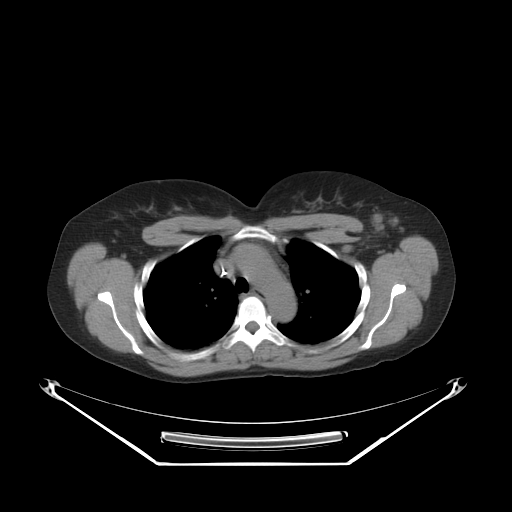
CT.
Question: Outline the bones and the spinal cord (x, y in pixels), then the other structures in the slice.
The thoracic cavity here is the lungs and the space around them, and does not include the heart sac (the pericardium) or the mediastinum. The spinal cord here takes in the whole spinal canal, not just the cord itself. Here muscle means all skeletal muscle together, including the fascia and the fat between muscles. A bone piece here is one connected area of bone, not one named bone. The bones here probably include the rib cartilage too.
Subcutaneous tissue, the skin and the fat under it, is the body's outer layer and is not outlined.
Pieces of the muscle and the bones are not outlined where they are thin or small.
Answer: Outlines (x, y in pixels):
bones 1: [[249,296],[257,297],[263,303],[272,323],[296,345],[277,345],[268,339],[264,339],[256,346],[253,352],[245,343],[237,341],[228,349],[220,344],[213,353],[204,358],[189,361],[181,361],[169,354],[170,352],[191,353],[214,345],[233,323],[238,304]]; inner edge: [[252,321],[253,322],[255,322],[258,325],[258,328],[255,331],[254,331],[253,332],[251,332],[250,331],[249,331],[246,328],[246,325],[249,322],[251,322]]
bones 2: [[355,262],[360,262],[364,266],[367,277],[366,281],[370,289],[369,300],[364,311],[363,319],[355,331],[344,341],[336,345],[330,346],[334,342],[331,339],[340,333],[353,320],[356,314],[357,306],[361,297],[361,289],[357,272],[353,267],[353,264]]
bones 3: [[153,259],[156,259],[157,262],[152,269],[147,282],[143,286],[142,291],[143,303],[144,304],[143,312],[149,325],[161,339],[160,346],[155,345],[145,334],[140,326],[135,314],[136,305],[133,295],[134,285],[141,281],[141,275],[144,264],[147,261]]
bones 4: [[246,225],[257,225],[260,226],[266,229],[270,233],[275,235],[279,239],[287,238],[289,239],[289,241],[288,243],[284,243],[280,241],[277,242],[271,242],[268,240],[262,238],[258,238],[257,237],[246,237],[245,238],[234,240],[231,238],[231,236]]
bones 5: [[395,283],[403,283],[406,287],[405,291],[396,295],[393,298],[391,311],[386,320],[379,326],[372,334],[371,345],[370,347],[367,349],[359,349],[359,346],[366,340],[367,335],[371,328],[378,322],[385,314],[389,305],[389,299],[391,293],[391,288]]
bones 6: [[102,291],[109,291],[111,293],[114,307],[116,311],[116,315],[118,320],[122,326],[134,337],[136,343],[143,352],[142,354],[136,354],[133,351],[131,347],[130,341],[124,335],[115,322],[111,307],[108,304],[99,300],[97,298],[97,294],[99,292]]
bones 7: [[312,240],[315,240],[316,241],[318,241],[319,242],[320,242],[321,243],[328,246],[330,248],[331,248],[339,256],[339,257],[340,258],[339,259],[337,259],[325,250],[324,250],[320,247],[315,245],[311,242],[312,241]]
bones 8: [[195,236],[202,236],[203,237],[203,238],[202,238],[201,239],[200,239],[198,241],[197,241],[196,242],[189,245],[187,247],[184,248],[179,252],[176,252],[177,251],[178,248],[179,248],[187,241],[188,241],[190,239],[191,239],[193,237],[194,237]]
spinal cord: [[252,321],[253,322],[255,322],[258,325],[258,328],[255,331],[254,331],[253,332],[251,332],[250,331],[249,331],[246,328],[246,325],[249,322],[251,322]]
mediastinum: [[221,236],[230,236],[234,241],[257,238],[271,243],[280,242],[287,244],[284,258],[289,266],[291,284],[296,295],[297,303],[297,312],[291,321],[275,325],[264,303],[257,296],[249,295],[239,302],[230,280],[220,278],[215,273],[213,263],[222,241]]
torso: [[315,169],[367,178],[422,203],[439,219],[456,283],[442,325],[424,345],[396,360],[337,375],[269,375],[182,384],[150,379],[100,360],[71,341],[55,321],[46,282],[59,236],[72,216],[94,202],[133,182],[189,178],[218,186],[254,206],[279,179]]
muscle: [[320,212],[351,215],[363,223],[361,239],[352,244],[351,253],[369,268],[375,258],[392,252],[401,239],[414,234],[431,241],[438,256],[438,271],[416,328],[395,343],[368,349],[373,334],[391,313],[394,298],[406,291],[403,282],[395,282],[384,314],[358,346],[365,350],[335,367],[297,370],[252,365],[189,377],[170,375],[137,355],[144,352],[119,320],[109,290],[99,291],[96,298],[110,307],[132,354],[105,346],[88,331],[68,288],[67,268],[73,253],[85,243],[100,242],[108,257],[121,257],[135,269],[143,264],[132,295],[135,317],[148,339],[157,347],[163,341],[181,350],[201,349],[170,351],[168,354],[176,360],[201,360],[220,345],[228,350],[237,342],[253,353],[264,340],[294,347],[295,342],[317,344],[330,339],[333,342],[329,346],[336,346],[362,323],[370,300],[367,272],[360,261],[349,265],[318,240],[279,238],[257,224],[246,224],[231,235],[195,235],[158,263],[156,258],[147,260],[160,248],[147,244],[141,237],[145,226],[180,214],[213,217],[230,214],[256,224],[274,216]]
thoracic cavity 1: [[213,235],[220,236],[221,241],[216,250],[212,268],[214,273],[220,279],[227,279],[231,283],[238,301],[236,313],[228,329],[216,341],[198,349],[189,350],[177,348],[162,340],[147,320],[143,291],[153,269],[157,264],[172,255],[179,253],[200,240]]
thoracic cavity 2: [[293,238],[309,242],[337,260],[351,266],[356,272],[358,279],[360,297],[352,320],[333,337],[317,343],[302,343],[295,341],[276,326],[277,324],[287,324],[291,322],[298,312],[297,295],[292,284],[290,266],[285,258],[287,254],[287,245],[290,239]]